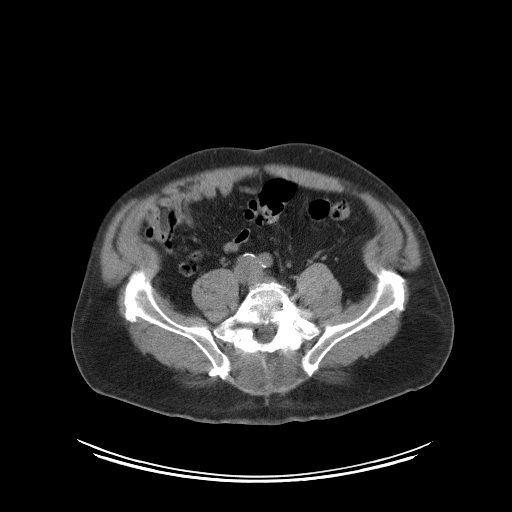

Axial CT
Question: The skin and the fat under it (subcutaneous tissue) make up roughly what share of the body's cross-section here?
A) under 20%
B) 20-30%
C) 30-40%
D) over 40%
Answer: C) 30-40%
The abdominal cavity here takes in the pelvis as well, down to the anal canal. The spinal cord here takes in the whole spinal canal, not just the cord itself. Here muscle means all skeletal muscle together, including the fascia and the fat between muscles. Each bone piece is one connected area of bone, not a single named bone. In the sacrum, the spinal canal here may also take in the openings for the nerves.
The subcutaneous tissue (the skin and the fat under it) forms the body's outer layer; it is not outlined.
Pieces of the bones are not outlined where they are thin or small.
Outlines (x, y in pixels):
abdominal cavity: 261,172 346,192 369,208 378,230 361,251 373,285 360,304 343,310 342,287 321,262 297,277 306,311 273,280 250,286 239,304 224,267 191,286 202,320 180,315 157,291 162,258 138,234 150,213 187,189
torso: 283,142 314,143 353,159 385,181 415,213 427,235 453,311 453,344 441,371 430,384 418,390 341,416 278,425 196,422 163,415 94,391 75,363 70,327 92,240 110,205 144,177 193,151 215,146 259,149
spinal cord: 268,324 273,324 276,326 276,329 275,330 275,333 274,334 274,335 272,337 272,338 269,341 268,341 267,342 261,342 260,341 259,341 257,339 257,338 256,337 256,332 257,331 257,327 260,325 267,325
bones: 381,267 404,278 404,310 338,341 310,377 301,359 316,337 273,352 215,338 230,362 223,380 208,374 211,362 189,338 122,313 124,286 143,268 156,303 178,324 211,331 250,287 273,281 322,332 364,312 with a hole at 268,324 273,324 276,326 276,329 275,330 275,333 274,334 274,335 272,337 272,338 269,341 268,341 267,342 261,342 260,341 259,341 257,339 257,338 256,337 256,332 257,331 257,327 260,325 267,325
muscle: 273,163 359,184 401,210 421,253 405,309 405,278 381,266 375,274 373,296 355,318 326,324 321,331 302,315 309,307 298,296 298,277 315,263 324,264 339,283 345,313 368,297 374,276 364,263 362,250 378,232 378,224 366,203 349,192 310,188 261,171 217,186 182,190 153,209 137,229 140,240 161,258 152,284 177,314 199,321 206,318 192,297 192,286 200,276 218,268 229,270 236,280 238,306 234,313 211,330 204,324 178,323 157,303 152,293 153,275 141,267 131,272 119,295 123,317 131,323 140,318 189,339 210,362 207,374 223,381 229,376 231,362 215,339 244,353 273,353 296,351 305,340 316,338 300,359 310,378 338,342 389,312 404,311 401,325 381,354 341,383 311,378 284,394 268,396 251,395 225,382 186,387 133,344 117,313 116,289 108,287 101,276 99,254 104,232 124,203 168,182 214,168